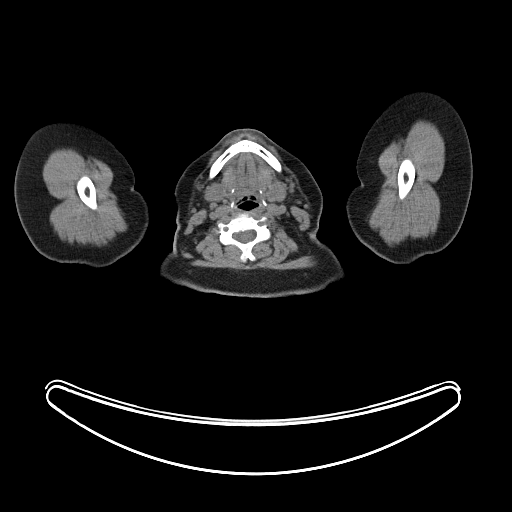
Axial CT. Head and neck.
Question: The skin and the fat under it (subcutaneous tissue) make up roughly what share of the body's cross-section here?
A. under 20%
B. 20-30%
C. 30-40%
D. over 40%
Answer: D. over 40%
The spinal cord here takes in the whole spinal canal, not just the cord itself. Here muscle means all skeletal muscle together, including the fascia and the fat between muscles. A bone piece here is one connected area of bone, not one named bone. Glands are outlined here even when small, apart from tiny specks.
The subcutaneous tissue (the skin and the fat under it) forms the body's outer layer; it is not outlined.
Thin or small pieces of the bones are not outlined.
submandibular glands 1: 275 180; 277 180; 280 182; 283 182; 287 186; 287 195; 286 196; 285 199; 284 199; 282 201; 271 201; 270 202; 268 200; 268 199; 267 198; 267 191; 269 188; 269 186; 270 185; 270 184; 271 184; 272 183; 272 182; 273 182
submandibular glands 2: 213 182; 218 182; 221 184; 223 184; 223 187; 225 190; 225 195; 222 198; 222 199; 221 199; 219 201; 215 201; 214 202; 210 202; 209 201; 207 201; 204 199; 204 194; 205 193; 205 189; 206 188; 206 187; 209 184; 210 184
bones 1: 245 211; 255 219; 259 219; 264 215; 267 218; 266 223; 271 235; 268 239; 257 242; 252 247; 251 252; 255 257; 253 261; 248 259; 243 262; 240 259; 241 250; 237 246; 233 244; 224 245; 220 242; 217 223; 227 223; 237 214; inner edge: 248 230; 253 230; 255 232; 255 236; 253 239; 252 239; 251 240; 250 240; 247 242; 241 242; 240 241; 239 241; 238 240; 237 240; 236 239; 235 239; 233 237; 233 234; 234 233; 237 233; 238 232; 243 232; 244 231; 247 231
bones 2: 242 139; 249 139; 250 140; 255 141; 267 149; 276 157; 281 164; 281 171; 280 172; 278 172; 259 155; 250 151; 241 151; 231 157; 224 164; 218 173; 213 178; 209 178; 209 170; 215 160; 226 149; 226 148; 227 148; 231 144
bones 3: 405 158; 408 158; 411 160; 415 168; 415 177; 414 178; 414 180; 413 181; 413 183; 412 184; 412 186; 410 190; 408 192; 406 196; 402 200; 401 200; 398 196; 398 185; 397 184; 397 175; 398 174; 399 166; 401 162
bones 4: 83 175; 86 175; 88 176; 90 178; 94 185; 94 187; 95 188; 95 194; 96 195; 96 203; 97 204; 97 208; 95 210; 93 210; 89 207; 88 207; 82 201; 78 194; 78 192; 76 188; 76 184; 77 183; 77 181
head and neck: 243 127; 255 128; 262 131; 276 143; 299 158; 312 174; 323 197; 322 213; 317 232; 318 241; 312 256; 289 278; 251 297; 224 295; 208 290; 190 268; 174 239; 176 229; 174 189; 182 172; 194 159; 213 146; 224 134; 233 129 with a hole at 247 195; 249 196; 252 196; 255 199; 256 199; 258 203; 258 205; 256 207; 252 209; 250 209; 249 210; 241 210; 239 208; 239 207; 236 205; 236 204; 237 202; 241 200; 244 196; 246 196
left arm: 414 90; 435 92; 447 99; 457 110; 464 123; 470 142; 473 178; 466 215; 454 239; 439 252; 424 255; 409 264; 395 264; 376 255; 356 238; 347 220; 345 202; 349 192; 360 183; 356 172; 356 159; 367 131; 392 101; 399 96
spinal cord: 248 230; 253 230; 255 232; 255 236; 253 239; 252 239; 251 240; 250 240; 247 242; 241 242; 240 241; 239 241; 238 240; 237 240; 236 239; 235 239; 233 237; 233 234; 234 233; 237 233; 238 232; 243 232; 244 231; 247 231
right arm: 56 121; 71 121; 84 124; 111 141; 128 160; 134 173; 134 188; 141 193; 149 206; 150 220; 145 236; 129 253; 110 265; 95 268; 85 264; 60 263; 50 260; 36 251; 20 224; 13 192; 14 176; 17 164; 33 132; 43 125
torso 1: 319 239; 327 244; 331 248; 343 266; 346 272; 346 278; 344 281; 333 284; 324 290; 315 292; 314 293; 310 293; 309 294; 292 295; 291 296; 284 296; 283 297; 252 297; 259 295; 281 284; 286 280; 289 279; 300 270; 313 256
torso 2: 173 239; 176 243; 176 245; 179 250; 180 254; 189 268; 192 270; 195 274; 197 279; 202 285; 210 292; 196 291; 187 287; 184 287; 179 285; 174 285; 165 281; 163 281; 158 277; 157 275; 158 267; 164 256; 172 248; 173 245
muscle 1: 241 132; 250 132; 262 137; 277 150; 298 177; 300 184; 303 190; 308 196; 311 204; 311 212; 312 213; 311 246; 315 251; 321 255; 322 261; 320 265; 313 268; 295 269; 294 270; 274 270; 273 269; 238 270; 230 268; 194 267; 190 266; 184 262; 181 256; 179 246; 183 234; 183 228; 186 220; 188 198; 190 195; 190 191; 192 188; 193 181; 203 168; 212 153; 217 150; 227 138; inner edges: 247 195; 256 199; 258 205; 245 211; 255 219; 264 215; 271 235; 252 247; 251 252; 255 257; 253 261; 248 259; 243 262; 240 259; 241 250; 237 246; 224 245; 220 242; 217 223; 227 223; 237 214; 244 212; 236 204, then 242 139; 249 139; 250 140; 255 141; 267 149; 276 157; 281 164; 281 171; 280 172; 278 172; 259 155; 250 151; 241 151; 231 157; 224 164; 218 173; 213 178; 209 178; 209 170; 215 160; 226 149; 226 148; 227 148; 231 144, then 275 180; 277 180; 280 182; 283 182; 287 186; 287 195; 286 196; 285 199; 284 199; 282 201; 271 201; 270 202; 268 200; 268 199; 267 198; 267 191; 269 188; 269 186; 270 185; 270 184; 271 184; 272 183; 272 182; 273 182, then 213 182; 218 182; 221 184; 223 184; 223 187; 225 190; 225 195; 222 198; 222 199; 221 199; 219 201; 215 201; 214 202; 210 202; 209 201; 207 201; 204 199; 204 194; 205 193; 205 189; 206 188; 206 187; 209 184; 210 184
muscle 2: 418 118; 425 118; 433 121; 439 128; 445 141; 444 169; 438 181; 440 220; 437 234; 422 239; 408 239; 395 246; 389 246; 379 234; 365 222; 366 216; 376 200; 383 180; 383 177; 378 169; 377 158; 381 151; 392 139; 397 137 with a hole at 405 158; 408 158; 411 160; 415 168; 415 177; 414 178; 414 180; 413 181; 413 183; 412 184; 412 186; 410 190; 408 192; 406 196; 402 200; 401 200; 398 196; 398 185; 397 184; 397 175; 398 174; 399 166; 401 162
muscle 3: 56 147; 72 147; 91 155; 95 155; 105 162; 113 171; 113 186; 116 192; 117 199; 128 222; 128 229; 119 239; 109 246; 83 247; 74 244; 64 243; 54 233; 49 223; 49 213; 54 199; 48 193; 43 181; 42 166; 48 153, around a hole outlined by 83 175; 86 175; 88 176; 90 178; 94 185; 94 187; 95 188; 95 194; 96 195; 96 203; 97 204; 97 208; 95 210; 93 210; 89 207; 88 207; 82 201; 78 194; 78 192; 76 188; 76 184; 77 183; 77 181